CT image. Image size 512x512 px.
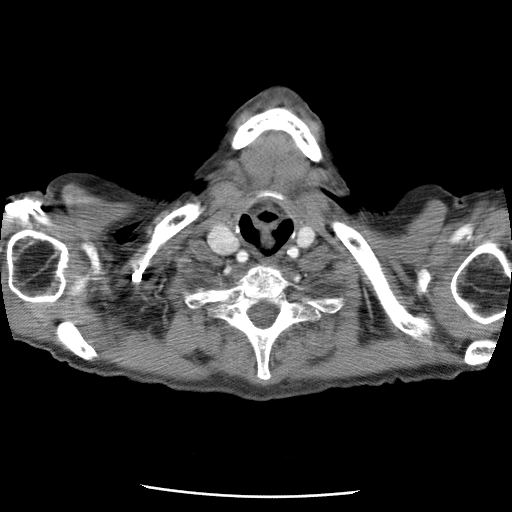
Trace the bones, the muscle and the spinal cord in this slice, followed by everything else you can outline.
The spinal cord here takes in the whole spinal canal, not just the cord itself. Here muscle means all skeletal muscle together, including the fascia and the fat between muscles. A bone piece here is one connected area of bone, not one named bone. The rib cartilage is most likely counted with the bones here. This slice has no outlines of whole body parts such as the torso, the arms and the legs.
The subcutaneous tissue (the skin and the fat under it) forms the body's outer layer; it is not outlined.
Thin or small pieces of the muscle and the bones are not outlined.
Outlined structures:
bones 1: [[256,264],[280,270],[292,284],[287,289],[300,295],[344,299],[335,313],[322,312],[318,319],[295,323],[280,333],[269,353],[268,379],[257,376],[256,356],[247,337],[208,313],[217,302],[190,308],[183,295],[184,291],[194,292],[198,287],[230,288]] with a hole at [[261,300],[265,300],[267,302],[273,305],[275,305],[278,309],[277,314],[273,322],[269,326],[265,328],[261,328],[258,326],[256,326],[250,319],[248,315],[248,313],[247,312],[250,308],[251,308],[254,305],[257,304]]
bones 2: [[29,228],[43,232],[45,234],[59,240],[66,246],[68,251],[67,267],[64,270],[64,274],[67,280],[66,287],[64,292],[53,302],[25,301],[14,293],[9,288],[7,283],[6,269],[5,268],[5,250],[7,241],[9,237],[17,231]]
bones 3: [[487,240],[496,243],[498,245],[498,247],[505,253],[506,257],[511,263],[511,282],[508,286],[504,316],[501,316],[497,320],[490,323],[480,323],[470,318],[456,303],[451,293],[450,282],[454,271],[460,263],[476,246]]
bones 4: [[333,220],[344,222],[353,227],[365,239],[379,261],[389,286],[399,302],[411,314],[427,318],[428,322],[433,327],[429,335],[427,336],[427,339],[430,342],[413,338],[397,328],[390,321],[377,298],[373,286],[362,268],[331,228],[330,222]]
bones 5: [[275,107],[284,107],[289,109],[306,124],[310,132],[315,137],[321,150],[322,158],[320,161],[315,162],[307,157],[295,144],[291,136],[282,130],[266,130],[244,147],[239,149],[233,149],[231,147],[231,141],[238,126],[244,123],[251,116],[269,108]]
bones 6: [[198,201],[205,208],[204,210],[196,219],[160,244],[155,253],[151,257],[149,265],[143,270],[140,280],[138,282],[135,281],[134,282],[132,280],[132,275],[135,269],[139,267],[138,260],[147,250],[146,245],[151,240],[155,226],[173,210],[186,203]]
bones 7: [[67,320],[70,320],[74,323],[74,324],[80,331],[85,340],[90,345],[91,345],[96,351],[98,354],[98,356],[97,357],[91,360],[86,360],[76,355],[73,352],[69,350],[60,341],[58,340],[58,338],[56,334],[57,327],[61,322],[63,322]]
bones 8: [[83,242],[91,242],[96,247],[101,263],[101,269],[103,271],[103,273],[99,275],[102,278],[100,280],[90,280],[88,282],[85,290],[78,295],[74,296],[68,294],[67,292],[69,287],[75,279],[75,276],[87,274],[92,270],[90,258],[82,248]]
bones 9: [[480,339],[491,339],[492,342],[495,344],[495,347],[493,350],[493,352],[491,354],[491,357],[487,362],[482,364],[478,364],[473,366],[472,365],[468,365],[466,364],[464,362],[464,354],[465,353],[466,348],[471,342],[475,340],[479,340]]
bones 10: [[421,268],[425,268],[426,269],[427,269],[428,270],[428,271],[431,276],[431,278],[430,279],[430,280],[427,285],[427,288],[426,289],[426,291],[424,293],[422,293],[419,295],[416,292],[416,274],[417,273],[417,272]]
muscle: [[277,92],[317,122],[321,149],[284,106],[251,115],[230,147],[286,133],[312,162],[325,159],[334,179],[315,188],[353,218],[391,232],[430,198],[505,204],[511,262],[487,239],[449,282],[470,319],[506,320],[498,342],[467,345],[472,366],[267,387],[222,375],[185,382],[89,361],[99,354],[70,319],[55,334],[75,355],[10,327],[8,202],[55,198],[76,182],[137,205],[113,234],[124,244],[213,185],[237,116]] with holes at [[256,264],[280,270],[292,284],[287,289],[300,295],[344,299],[335,313],[322,312],[318,319],[295,323],[280,333],[269,353],[268,379],[257,376],[256,356],[247,337],[208,313],[217,302],[190,308],[183,295],[184,291],[194,292],[198,287],[230,288]] and at [[263,190],[275,191],[283,195],[284,198],[281,200],[273,197],[271,199],[274,200],[288,215],[291,216],[298,225],[307,226],[309,228],[313,234],[313,239],[311,243],[305,248],[298,257],[293,259],[280,259],[273,262],[255,263],[240,262],[232,256],[225,257],[214,253],[210,249],[207,243],[207,234],[210,228],[218,223],[230,225],[234,220],[234,218],[240,212],[243,212],[261,199],[256,198],[256,196],[258,193]] and at [[29,228],[43,232],[45,234],[59,240],[66,246],[68,251],[67,267],[64,270],[64,274],[67,280],[66,287],[64,292],[53,302],[25,301],[14,293],[9,288],[7,283],[6,269],[5,268],[5,250],[7,241],[9,237],[17,231]] and at [[333,220],[344,222],[353,227],[365,239],[379,261],[389,286],[399,302],[411,314],[427,318],[428,322],[433,327],[429,335],[427,336],[427,339],[430,342],[413,338],[397,328],[390,321],[377,298],[373,286],[362,268],[331,228],[330,222]] and at [[198,201],[205,208],[204,210],[196,219],[160,244],[155,253],[151,257],[149,265],[143,270],[140,280],[138,282],[135,281],[134,282],[132,280],[132,275],[135,269],[139,267],[138,260],[147,250],[146,245],[151,240],[155,226],[173,210],[186,203]] and at [[83,242],[91,242],[96,247],[101,263],[101,269],[103,271],[103,273],[99,275],[102,278],[100,280],[90,280],[88,282],[85,290],[78,295],[74,296],[68,294],[67,292],[69,287],[75,279],[75,276],[87,274],[92,270],[90,258],[82,248]] and at [[421,268],[425,268],[426,269],[427,269],[428,270],[428,271],[431,276],[431,278],[430,279],[430,280],[427,285],[427,288],[426,289],[426,291],[424,293],[422,293],[419,295],[416,292],[416,274],[417,273],[417,272]]
spinal cord: [[261,300],[265,300],[267,302],[273,305],[275,305],[278,309],[277,314],[273,322],[269,326],[265,328],[261,328],[258,326],[256,326],[250,319],[248,315],[248,313],[247,312],[250,308],[251,308],[254,305],[257,304]]
central area in front of the spine: [[262,198],[271,198],[288,215],[291,216],[298,225],[307,226],[313,234],[311,243],[298,257],[293,259],[280,259],[273,262],[240,262],[232,256],[225,257],[214,253],[207,243],[207,234],[210,228],[218,223],[230,225],[234,218],[240,212],[243,212]]